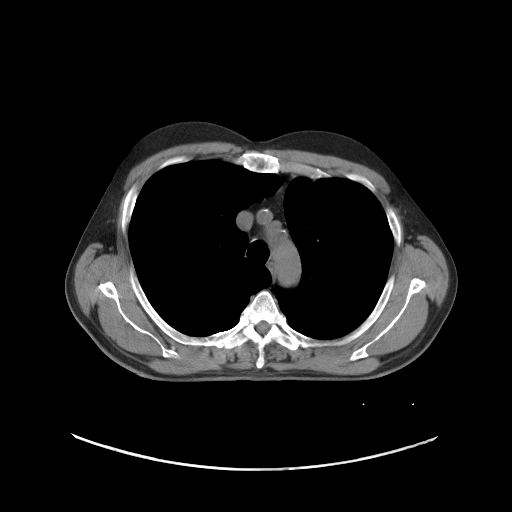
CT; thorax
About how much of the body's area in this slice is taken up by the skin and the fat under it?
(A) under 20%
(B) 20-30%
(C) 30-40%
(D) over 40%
(A) under 20%
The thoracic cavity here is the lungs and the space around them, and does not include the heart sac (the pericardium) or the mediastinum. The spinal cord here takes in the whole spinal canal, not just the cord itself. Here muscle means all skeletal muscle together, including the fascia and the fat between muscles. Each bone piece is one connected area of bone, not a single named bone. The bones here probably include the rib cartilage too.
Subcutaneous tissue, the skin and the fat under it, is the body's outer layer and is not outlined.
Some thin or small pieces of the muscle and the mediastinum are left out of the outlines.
The torso is outlined by 186 120; 221 124; 252 140; 266 140; 303 129; 333 131; 352 137; 375 152; 434 225; 456 266; 458 283; 454 303; 427 349; 394 372; 354 381; 157 381; 126 369; 102 352; 68 307; 64 293; 68 264; 117 167; 133 145; 158 127. The muscle is outlined by 205 141; 231 142; 248 149; 256 150; 257 151; 258 151; 262 151; 265 149; 311 151; 375 170; 388 183; 388 197; 399 208; 403 225; 426 235; 441 250; 449 273; 443 304; 429 312; 410 343; 367 373; 262 368; 265 347; 272 342; 290 351; 342 346; 376 321; 394 287; 395 275; 389 275; 389 269; 394 244; 399 247; 402 241; 399 219; 391 205; 384 209; 372 182; 356 172; 336 176; 281 162; 273 154; 256 151; 255 150; 251 151; 245 151; 228 159; 192 159; 180 154; 164 160; 140 190; 134 183; 124 195; 120 227; 123 235; 127 231; 132 260; 130 286; 147 315; 176 342; 229 350; 251 341; 257 348; 258 369; 166 374; 123 353; 83 313; 75 293; 75 265; 90 243; 116 246; 123 186; 135 165; 169 147; inner edges: 414 277; 417 277; 423 280; 426 284; 425 286; 418 292; 416 292; 411 295; 404 311; 394 324; 377 340; 370 344; 366 348; 368 356; 355 360; 349 360; 349 357; 353 351; 373 339; 389 324; 399 312; 405 301; 410 281, then 106 281; 111 281; 115 286; 118 294; 120 307; 126 316; 136 325; 154 335; 166 348; 173 349; 177 352; 179 358; 162 356; 162 351; 159 344; 152 337; 138 331; 123 318; 118 310; 115 300; 106 296; 97 288; 97 286; 100 283. The bones appear in 8 outlined pieces: piece 1: 131 265; 156 312; 176 330; 196 337; 233 327; 265 289; 296 331; 320 340; 340 338; 369 315; 388 277; 393 274; 394 282; 378 317; 356 338; 295 350; 272 341; 257 368; 259 352; 251 340; 229 349; 190 345; 161 330; 131 286; inner edge: 261 321; 265 321; 270 326; 269 327; 269 329; 267 331; 267 332; 266 333; 265 333; 263 335; 262 335; 261 334; 260 334; 256 330; 256 329; 255 328; 255 326; 259 322; 260 322; piece 2: 252 151; 273 155; 277 157; 281 163; 299 163; 314 168; 318 168; 331 174; 332 176; 312 179; 308 176; 298 174; 293 171; 282 170; 277 173; 263 173; 252 171; 245 168; 242 165; 235 164; 228 160; 230 158; 237 157; 245 152; piece 3: 414 277; 417 277; 423 280; 426 284; 425 286; 418 292; 416 292; 411 295; 404 311; 394 324; 377 340; 370 344; 366 348; 368 356; 355 360; 349 360; 349 357; 353 351; 373 339; 389 324; 399 312; 405 301; 410 281; piece 4: 106 281; 111 281; 115 286; 118 294; 120 307; 126 316; 136 325; 154 335; 166 348; 173 349; 177 352; 179 358; 162 356; 162 351; 159 344; 152 337; 138 331; 123 318; 118 310; 115 300; 106 296; 97 288; 97 286; 100 283; piece 5: 134 184; 138 185; 139 187; 139 192; 134 204; 133 211; 131 215; 130 221; 127 227; 126 234; 123 234; 122 232; 122 228; 121 227; 121 218; 122 217; 122 211; 123 210; 123 201; 124 200; 125 195; 127 193; 128 190; 132 185; piece 6: 389 205; 393 208; 395 212; 395 214; 398 219; 398 221; 400 225; 400 228; 401 229; 401 241; 400 242; 400 244; 399 246; 397 246; 394 242; 393 235; 390 229; 390 226; 389 225; 389 223; 387 219; 387 216; 385 212; 385 207; piece 7: 345 173; 356 173; 357 174; 359 174; 360 175; 362 175; 364 176; 370 182; 371 182; 371 183; 375 187; 375 189; 376 190; 375 193; 373 193; 363 184; 357 181; 354 181; 351 179; 349 179; 345 177; 344 176; 344 174; piece 8: 180 155; 185 155; 186 156; 191 157; 191 160; 185 161; 184 162; 181 162; 180 163; 170 164; 169 165; 167 165; 163 167; 161 169; 157 170; 157 168; 164 161; 165 161; 167 159; 171 157; 173 157; 174 156; 179 156. The thoracic cavity appears in 2 outlined pieces: piece 1: 206 159; 227 160; 252 172; 275 174; 279 185; 273 193; 252 202; 235 216; 236 227; 247 238; 243 257; 264 267; 269 273; 270 283; 250 296; 233 326; 196 336; 173 327; 149 301; 133 264; 128 227; 139 193; 154 173; 170 165; piece 2: 299 175; 312 180; 333 176; 344 177; 363 185; 374 194; 382 206; 394 243; 388 275; 373 308; 359 325; 336 338; 320 339; 293 328; 280 310; 275 294; 276 288; 293 290; 301 279; 301 257; 290 233; 284 211; 284 198; 288 184. The spinal cord is outlined by 261 321; 265 321; 270 326; 269 327; 269 329; 267 331; 267 332; 266 333; 265 333; 263 335; 262 335; 261 334; 260 334; 256 330; 256 329; 255 328; 255 326; 259 322; 260 322. The mediastinum is outlined by 282 171; 298 175; 287 184; 283 211; 289 233; 300 257; 301 273; 299 282; 293 289; 275 288; 277 303; 271 292; 266 289; 271 283; 268 270; 244 257; 248 238; 247 234; 237 227; 236 216; 252 203; 273 194; 280 185; 276 174.